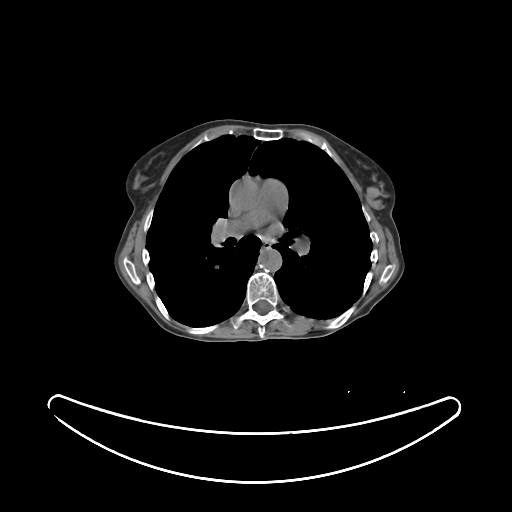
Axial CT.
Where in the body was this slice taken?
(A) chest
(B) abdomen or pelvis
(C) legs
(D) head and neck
(A) chest
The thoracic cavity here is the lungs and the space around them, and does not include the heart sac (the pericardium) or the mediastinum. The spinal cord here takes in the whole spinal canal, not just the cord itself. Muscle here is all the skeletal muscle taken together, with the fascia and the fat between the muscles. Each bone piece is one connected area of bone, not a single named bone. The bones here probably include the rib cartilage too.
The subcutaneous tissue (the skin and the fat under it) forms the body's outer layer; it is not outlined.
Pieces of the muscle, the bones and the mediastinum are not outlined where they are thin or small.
{"pericardium":[[[245,176],[253,176],[261,178],[275,178],[283,182],[288,192],[288,200],[286,208],[283,213],[284,220],[282,225],[283,226],[282,231],[275,233],[272,235],[250,234],[241,229],[237,224],[230,210],[230,190],[232,186],[236,182]]],"spinal_cord":[[[261,300],[263,300],[264,301],[266,301],[269,304],[270,304],[272,307],[270,310],[269,310],[266,313],[265,313],[264,314],[260,314],[257,311],[256,311],[254,308],[254,305],[257,302],[258,302]]],"thoracic_cavity":[[[223,135],[308,142],[351,183],[372,249],[361,294],[339,315],[310,318],[283,302],[274,278],[283,258],[273,244],[285,229],[289,192],[248,169],[229,188],[226,217],[237,240],[260,242],[241,309],[206,326],[170,315],[149,268],[147,232],[174,166]]],"mediastinum":[[[229,191],[229,210],[241,230],[247,234],[259,236],[272,236],[282,232],[278,241],[272,244],[272,247],[280,253],[282,258],[281,265],[273,276],[267,269],[253,272],[259,255],[260,240],[253,235],[245,235],[237,239],[231,234],[230,225],[227,220]],[[247,170],[248,170],[248,173],[249,174],[249,175],[245,175],[243,177],[242,177],[240,179],[239,179],[237,181],[236,181],[232,185],[232,184],[236,180],[237,180],[238,179],[239,179],[242,176],[243,176],[246,173],[246,172],[247,171]]],"muscle":[{"outer":[[229,124],[252,126],[251,134],[236,135],[234,129],[228,128],[205,133],[194,142],[169,172],[155,205],[148,211],[142,227],[146,235],[145,246],[141,250],[141,260],[149,269],[145,274],[145,279],[149,289],[156,292],[154,294],[154,302],[167,320],[170,320],[171,317],[183,324],[186,333],[163,321],[129,284],[120,270],[118,256],[133,224],[142,217],[152,199],[161,175],[170,160],[181,148],[203,131],[212,127]],"hole":[[126,256],[133,263],[133,264],[135,267],[135,270],[136,271],[136,273],[140,279],[140,283],[139,284],[136,284],[135,283],[134,283],[131,280],[130,277],[128,275],[128,274],[124,267],[124,265],[123,264],[123,259],[124,258],[124,257],[125,257]]},{"outer":[[282,128],[304,129],[322,136],[361,186],[364,201],[378,222],[383,227],[388,228],[392,235],[399,262],[398,270],[389,284],[351,317],[356,309],[355,303],[361,296],[363,297],[366,294],[372,281],[373,272],[370,268],[371,266],[374,267],[378,260],[378,250],[373,247],[373,243],[377,244],[379,242],[379,236],[376,231],[370,230],[368,224],[371,217],[327,143],[305,131],[295,131],[291,134],[291,137],[285,136]],"hole":[[388,264],[394,264],[395,265],[395,268],[394,269],[394,271],[393,272],[393,273],[391,275],[391,276],[389,278],[389,279],[386,282],[380,284],[378,282],[378,281],[380,278],[380,276],[381,275],[381,274],[382,273],[382,272],[383,271],[384,268]]},[[292,312],[295,313],[297,315],[300,315],[303,317],[309,318],[310,319],[325,320],[325,324],[323,327],[324,329],[311,330],[306,333],[298,334],[297,335],[271,334],[265,336],[266,325],[267,323],[274,319],[283,320],[285,318],[285,316],[289,316]],[[228,319],[232,327],[235,330],[245,320],[253,320],[255,321],[258,324],[257,332],[259,337],[257,336],[256,337],[250,337],[249,338],[238,338],[237,337],[226,338],[225,337],[210,337],[204,335],[196,335],[203,335],[212,332],[219,327],[219,323]]],"bones":[{"outer":[[264,270],[267,270],[273,277],[282,302],[291,312],[289,315],[285,315],[283,319],[274,318],[267,322],[264,337],[261,338],[258,332],[259,324],[255,320],[245,319],[235,329],[229,319],[242,310],[242,304],[246,296],[247,282],[250,276],[255,272]],"hole":[[261,300],[263,300],[264,301],[266,301],[269,304],[270,304],[272,307],[270,310],[269,310],[266,313],[265,313],[264,314],[260,314],[257,311],[256,311],[254,308],[254,305],[257,302],[258,302]]},[[254,127],[261,127],[262,128],[266,128],[267,129],[275,129],[276,128],[280,128],[281,129],[282,129],[282,130],[284,132],[284,136],[283,137],[282,137],[279,139],[276,139],[275,140],[259,140],[258,139],[255,138],[252,135],[252,130]],[[295,132],[305,132],[306,133],[308,133],[311,136],[316,137],[320,141],[322,142],[325,142],[328,148],[339,162],[339,164],[340,165],[339,165],[323,149],[320,148],[313,143],[311,143],[308,141],[302,140],[301,139],[296,139],[292,137],[292,134]],[[354,304],[355,305],[355,309],[351,314],[350,317],[340,327],[339,327],[338,328],[333,328],[332,329],[325,329],[324,328],[324,327],[326,324],[326,320],[328,320],[329,319],[333,319],[334,318],[339,316],[342,313],[343,313],[352,305],[353,305]],[[228,129],[232,129],[234,130],[234,134],[223,134],[222,135],[220,135],[208,141],[204,141],[198,144],[193,148],[190,149],[190,147],[205,134],[210,134],[213,132],[216,132],[217,131],[220,131],[221,130],[227,130]],[[126,256],[133,263],[133,264],[135,267],[135,270],[136,271],[136,273],[140,279],[140,283],[139,284],[136,284],[135,283],[134,283],[131,280],[130,277],[128,275],[128,274],[124,267],[124,265],[123,264],[123,259],[124,258],[124,257],[125,257]],[[214,324],[218,324],[218,327],[217,328],[216,328],[212,331],[210,331],[209,332],[207,332],[206,333],[204,333],[203,334],[190,334],[186,331],[186,326],[189,326],[190,327],[206,327],[207,326],[210,326],[211,325],[213,325]],[[388,264],[394,264],[395,265],[395,268],[394,269],[394,271],[393,272],[393,273],[391,275],[391,276],[389,278],[389,279],[386,282],[380,284],[378,282],[378,281],[380,278],[380,276],[381,275],[381,274],[382,273],[382,272],[383,271],[384,268]],[[155,294],[157,294],[158,295],[158,296],[160,298],[161,301],[165,306],[165,307],[166,308],[166,309],[167,310],[167,311],[168,312],[168,313],[170,316],[170,319],[167,319],[162,314],[162,313],[158,308],[158,307],[157,306],[157,305],[155,302]],[[369,270],[370,270],[372,272],[372,278],[371,279],[371,281],[369,284],[369,286],[368,287],[365,294],[363,296],[362,296],[361,295],[362,294],[362,291],[363,290],[363,285],[364,284],[365,277],[366,276],[366,274],[367,273],[367,272]],[[151,208],[154,208],[154,209],[153,210],[153,215],[152,216],[152,218],[151,219],[151,223],[150,224],[146,233],[145,232],[144,232],[144,231],[143,230],[143,227],[144,226],[144,223],[145,222],[146,217],[147,216],[149,211],[151,209]],[[149,270],[151,272],[151,273],[152,274],[152,275],[153,276],[153,279],[154,280],[154,290],[153,291],[152,290],[151,290],[150,289],[150,288],[149,287],[149,286],[148,285],[148,283],[147,282],[147,280],[146,279],[146,274],[147,273],[147,272]]],"torso":[[[222,118],[268,124],[304,123],[323,128],[373,158],[390,175],[396,192],[392,216],[399,233],[405,268],[393,289],[367,315],[322,337],[206,342],[162,329],[124,287],[114,269],[113,254],[133,208],[125,192],[129,169],[140,156],[160,142],[197,124]]]}